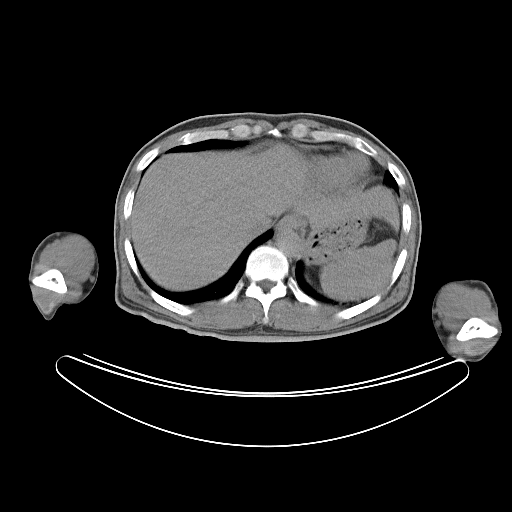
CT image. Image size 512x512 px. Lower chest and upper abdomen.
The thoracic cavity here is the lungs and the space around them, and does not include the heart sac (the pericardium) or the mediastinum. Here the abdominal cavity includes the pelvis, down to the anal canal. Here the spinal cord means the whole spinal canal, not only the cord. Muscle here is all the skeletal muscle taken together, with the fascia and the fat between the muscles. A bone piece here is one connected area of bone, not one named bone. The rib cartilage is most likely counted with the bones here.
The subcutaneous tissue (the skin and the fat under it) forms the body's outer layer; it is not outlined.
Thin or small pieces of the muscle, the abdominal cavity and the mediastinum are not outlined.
Outlined structures:
mediastinum 1: 284,212 297,212 301,214 306,220 307,228 308,229 308,234 306,236 304,241 301,261 299,260 296,262 294,267 293,274 290,273 290,264 286,255 279,248 270,244 265,244 263,243 267,241 273,235 273,227
mediastinum 2: 290,137 294,139 296,139 297,140 310,140 314,142 327,142 328,141 333,141 334,142 341,142 359,151 356,151 353,149 348,149 345,147 338,147 334,145 304,145 301,143 298,143 296,142
mediastinum 3: 368,156 370,156 374,158 382,166 383,166 386,169 387,169 385,171 384,173 384,175 382,179 382,178 378,175 376,175 374,173 372,173 372,169 373,168 372,166 372,162 371,160 368,157
pericardium: 306,146 334,146 338,148 345,148 348,150 361,152 362,154 365,154 371,162 372,167 371,173 365,179 362,179 361,181 344,189 343,191 338,191 334,193 320,193 314,191 310,189 306,183 306,152 305,151
muscle 1: 236,118 265,120 275,125 299,118 311,119 365,137 402,169 411,188 416,229 408,288 400,301 361,320 308,332 256,323 236,329 195,327 124,296 118,247 119,204 129,174 141,156 135,166 140,172 135,189 128,189 123,202 123,217 129,219 129,238 123,240 124,253 133,273 138,278 141,276 147,285 152,299 174,313 188,316 195,311 188,305 211,300 219,299 225,304 235,300 244,289 246,297 261,304 262,322 266,324 270,305 284,297 288,289 300,303 316,307 320,301 343,308 336,311 334,317 347,320 375,305 388,282 390,288 397,280 408,254 405,247 401,248 402,232 407,235 412,223 410,205 402,203 399,191 406,180 395,163 387,161 386,168 382,165 375,158 377,150 360,136 310,129 302,122 291,127 290,136 275,126 261,134 261,124 237,123 229,128 188,131 176,138 175,145 160,153 158,146 145,152 173,133
muscle 2: 67,235 79,236 89,244 94,255 93,268 89,279 83,284 81,295 76,300 61,302 50,313 46,314 36,301 33,285 58,294 65,294 68,291 68,287 63,273 58,268 50,267 32,277 34,266 47,244
muscle 3: 452,283 461,283 483,290 494,310 497,328 481,317 473,315 462,323 455,335 455,338 461,342 475,338 489,339 494,336 488,349 479,355 470,356 454,353 447,345 447,333 440,324 436,303 441,290
spinal cord: 265,279 267,279 268,280 269,280 270,281 272,281 273,282 274,282 274,285 273,286 272,286 267,291 265,291 264,290 263,290 263,289 258,284 258,282 259,282 260,281 261,281 262,280 264,280
bones 1: 263,244 273,246 285,255 289,273 300,289 315,299 318,305 300,302 288,288 284,296 271,302 267,312 268,320 264,323 262,304 256,298 246,296 244,288 235,299 225,303 219,301 233,290 243,276 251,251, around a hole outlined by 265,279 267,279 268,280 269,280 270,281 272,281 273,282 274,282 274,285 273,286 272,286 267,291 265,291 264,290 263,290 263,289 258,284 258,282 259,282 260,281 261,281 262,280 264,280
bones 2: 297,123 302,123 306,125 310,130 314,129 327,130 331,132 345,133 352,136 360,137 376,150 377,155 375,157 373,157 341,141 333,140 314,141 309,136 306,136 303,139 294,138 291,136 290,131 292,127
bones 3: 237,124 247,124 250,126 258,124 262,126 262,131 260,134 258,135 252,134 251,137 247,139 237,139 233,135 231,135 229,138 211,138 188,144 176,145 177,138 185,133 193,131 202,131 203,130 229,129
bones 4: 473,316 479,317 490,325 494,326 498,331 497,333 495,335 489,338 485,338 484,337 475,337 474,338 471,338 470,339 468,339 464,341 458,340 456,338 456,335 458,331 460,329 461,326 468,318 472,317
bones 5: 50,268 56,268 62,273 64,277 64,280 65,281 66,286 67,287 67,291 65,293 58,293 55,291 53,291 52,290 50,290 43,287 37,286 32,283 32,281 31,280 32,278 35,276 37,276 41,274
bones 6: 379,293 381,295 381,297 380,299 375,304 374,304 366,310 347,319 340,319 339,318 337,318 335,317 335,313 336,312 344,308 347,308 350,306 352,306 353,305 358,304 374,296 376,294 378,294
bones 7: 148,286 160,295 172,301 174,301 175,302 177,302 184,305 187,305 193,308 194,309 194,311 192,313 188,315 181,315 176,312 174,312 162,306 160,304 156,302 150,295 149,293 149,289 148,288
bones 8: 403,248 405,248 407,251 407,254 406,255 406,258 405,259 403,267 396,280 390,287 388,287 389,285 389,282 390,281 390,278 391,277 391,275 392,274 392,272 393,271 393,269 394,268 397,257 400,251
bones 9: 125,238 128,238 131,243 131,247 133,250 133,253 134,254 134,256 135,257 135,260 137,264 138,271 140,274 140,276 138,277 132,270 129,264 129,262 127,259 127,257 125,253 125,249 124,248 124,240
bones 10: 156,147 158,147 159,148 159,153 144,168 144,169 143,169 141,171 137,171 136,170 136,166 137,165 138,162 142,157 142,156 145,153 146,153 148,151 149,151 150,150 151,150 152,149 153,149
bones 11: 403,203 407,203 409,205 409,207 410,208 410,211 411,212 411,223 410,224 410,227 409,228 409,231 408,232 408,233 407,234 406,234 402,230 402,205 403,204
bones 12: 387,162 391,162 392,163 395,164 396,165 396,166 399,169 399,170 401,172 401,173 405,180 405,184 402,187 399,187 397,182 395,180 395,179 393,177 393,176 391,174 391,173 388,170 388,169 387,168
bones 13: 129,189 133,189 134,190 134,193 133,194 133,202 131,206 131,213 129,215 129,217 127,219 125,219 124,217 124,213 123,212 123,210 124,209 124,202 125,201 125,197 126,196 126,194 129,190
bones 14: 275,127 276,128 277,128 282,133 282,134 283,135 282,136 281,136 280,137 277,137 276,136 274,136 273,135 271,135 270,134 267,134 266,133 266,132 269,129 271,129 272,128 274,128
abdominal cavity: 266,134 305,146 305,183 314,192 343,192 370,174 399,192 401,249 378,293 341,307 310,286 302,263 308,223 297,211 284,211 223,276 198,289 168,291 136,260 134,194 159,154 233,148 243,143 237,140
thoracic cavity 1: 268,230 272,230 272,235 250,251 246,258 242,276 238,279 229,293 218,299 211,299 191,304 184,304 172,300 150,287 139,271 137,261 147,277 158,287 168,292 181,293 198,290 223,277 230,270 246,247
thoracic cavity 2: 211,139 232,139 233,140 240,141 242,143 241,144 236,145 233,147 212,147 211,148 199,149 198,150 168,151 169,150 168,149 174,146 188,145 189,144 192,144 201,141 205,141 206,140 210,140
thoracic cavity 3: 299,261 300,261 302,264 302,275 305,281 309,285 309,286 317,293 318,295 319,295 324,300 325,300 325,301 326,302 327,302 324,302 317,300 315,298 307,294 301,289 296,279 294,277 294,271 295,270 295,267 297,262
thoracic cavity 4: 387,170 390,173 390,174 392,176 392,177 396,182 396,183 398,186 398,190 396,190 395,189 394,189 394,188 393,187 392,187 391,186 390,186 389,185 388,185 384,181 384,176 385,175 385,173
left arm: 466,278 474,278 483,280 489,286 497,302 498,314 502,325 500,337 493,349 483,359 476,362 468,362 466,364 467,365 462,361 454,359 448,355 437,336 431,318 432,300 437,289 442,284 450,280 465,279
right arm: 60,230 71,230 79,232 91,240 95,246 98,255 99,270 96,283 85,299 78,304 73,305 64,304 50,320 46,320 39,312 32,299 31,292 28,286 28,279 27,278 30,267 31,257 37,245 48,234
torso: 299,111 341,118 363,127 396,154 409,170 421,213 421,241 413,292 407,305 389,320 352,333 310,341 261,343 195,335 182,329 154,323 120,308 114,300 114,206 122,177 133,155 163,130 196,116 234,112